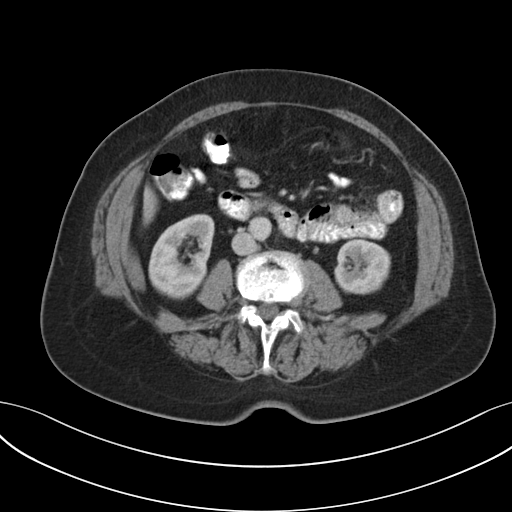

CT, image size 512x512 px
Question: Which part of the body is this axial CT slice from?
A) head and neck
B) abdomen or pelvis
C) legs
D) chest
Answer: B) abdomen or pelvis
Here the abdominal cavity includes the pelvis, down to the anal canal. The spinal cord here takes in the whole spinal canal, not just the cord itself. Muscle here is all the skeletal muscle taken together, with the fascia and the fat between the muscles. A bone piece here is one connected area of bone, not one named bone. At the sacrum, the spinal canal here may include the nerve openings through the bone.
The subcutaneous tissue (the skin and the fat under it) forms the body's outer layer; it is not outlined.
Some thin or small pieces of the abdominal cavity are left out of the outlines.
The abdominal cavity is outlined by [[264,106],[331,114],[376,138],[406,170],[416,203],[418,265],[412,301],[396,315],[338,314],[343,300],[327,272],[283,249],[246,256],[234,278],[230,261],[219,259],[196,294],[209,311],[201,315],[182,316],[145,298],[130,234],[148,163],[197,124]]. The bones are outlined by [[270,250],[288,251],[303,261],[305,268],[303,295],[294,299],[291,307],[299,312],[304,327],[300,333],[297,333],[290,325],[277,334],[269,355],[271,369],[264,372],[260,330],[246,322],[241,324],[233,317],[244,303],[235,285],[235,274],[240,261]] with a hole at [[260,302],[264,302],[265,303],[278,303],[279,304],[279,307],[280,308],[279,313],[278,313],[276,315],[275,315],[272,319],[271,319],[268,321],[266,321],[264,319],[263,319],[262,318],[262,317],[257,313],[257,310],[258,309],[258,304]]. The muscle is outlined by [[237,100],[241,100],[249,103],[261,102],[262,101],[288,101],[289,102],[300,102],[305,104],[316,105],[326,108],[343,108],[365,118],[385,133],[403,153],[407,161],[412,166],[415,167],[421,172],[435,186],[441,195],[447,209],[451,225],[451,230],[453,237],[453,248],[454,249],[453,273],[451,277],[451,283],[447,297],[442,299],[439,303],[427,309],[413,320],[394,332],[391,335],[391,337],[380,341],[374,347],[370,348],[365,353],[364,356],[358,361],[354,368],[343,374],[340,377],[321,385],[311,387],[303,387],[300,385],[295,387],[287,383],[284,383],[271,375],[264,375],[263,374],[260,374],[253,378],[244,381],[234,381],[233,380],[231,381],[218,381],[201,375],[175,355],[172,349],[163,342],[162,337],[156,330],[147,321],[140,318],[133,311],[128,308],[123,299],[103,295],[98,291],[94,284],[94,261],[91,256],[91,249],[90,248],[93,216],[96,204],[100,196],[110,182],[129,162],[143,152],[151,149],[168,131],[187,116],[213,104],[216,104],[220,102],[236,101]]; inner edge: [[264,106],[325,112],[385,145],[411,179],[418,257],[412,301],[390,316],[338,314],[332,279],[305,259],[291,305],[304,327],[277,334],[268,372],[260,330],[233,317],[244,299],[228,259],[196,294],[209,311],[186,317],[145,298],[130,243],[152,157]]. The torso is outlined by [[242,68],[305,70],[357,83],[403,112],[450,161],[468,201],[496,309],[490,349],[471,375],[412,402],[343,421],[308,423],[264,407],[234,424],[208,425],[114,403],[79,387],[53,365],[40,333],[41,295],[60,221],[85,162],[112,130],[170,92]]. The spinal cord is outlined by [[260,302],[264,302],[265,303],[278,303],[279,304],[279,307],[280,308],[279,313],[278,313],[276,315],[275,315],[272,319],[271,319],[268,321],[266,321],[264,319],[263,319],[262,318],[262,317],[257,313],[257,310],[258,309],[258,304]].